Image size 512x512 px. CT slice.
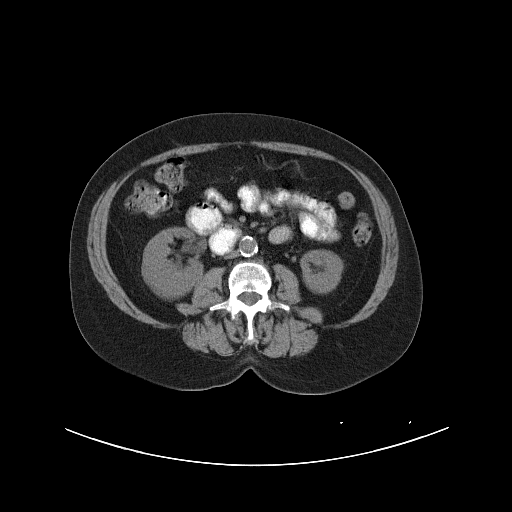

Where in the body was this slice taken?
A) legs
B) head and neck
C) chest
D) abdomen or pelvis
Answer: D) abdomen or pelvis
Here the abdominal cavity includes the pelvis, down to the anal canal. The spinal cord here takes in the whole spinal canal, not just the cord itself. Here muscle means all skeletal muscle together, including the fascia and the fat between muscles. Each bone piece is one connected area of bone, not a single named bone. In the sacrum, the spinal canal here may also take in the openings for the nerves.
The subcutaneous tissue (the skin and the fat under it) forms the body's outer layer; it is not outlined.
{"bones":[{"outer":[[242,261],[265,266],[272,278],[272,285],[268,291],[269,298],[289,306],[288,311],[277,307],[258,312],[252,321],[253,341],[245,341],[248,333],[243,313],[239,312],[235,319],[231,319],[230,314],[223,308],[209,309],[228,298],[228,275],[233,266]],"hole":[[245,292],[253,292],[254,293],[256,293],[258,295],[259,295],[259,298],[253,304],[252,304],[251,305],[248,305],[247,304],[246,304],[244,302],[243,302],[239,298],[239,296],[242,293],[244,293]]}],"abdominal_cavity":[[[228,146],[330,160],[364,188],[381,251],[373,289],[353,315],[325,322],[318,307],[298,304],[299,282],[291,269],[274,263],[272,277],[265,265],[250,260],[206,271],[190,302],[175,305],[179,321],[158,319],[132,301],[106,249],[115,194],[142,167]]],"spinal_cord":[[[245,292],[253,292],[254,293],[256,293],[258,295],[259,295],[259,298],[253,304],[252,304],[251,305],[248,305],[247,304],[246,304],[244,302],[243,302],[239,298],[239,296],[242,293],[244,293]]],"torso":[[[211,112],[263,113],[317,125],[360,147],[386,172],[415,240],[423,284],[421,315],[413,339],[387,369],[322,395],[279,390],[251,370],[229,384],[177,390],[116,369],[85,341],[74,319],[68,273],[70,232],[85,185],[104,160],[132,138],[180,117]]],"muscle":[{"outer":[[233,140],[283,141],[305,145],[327,152],[337,158],[347,162],[369,177],[384,194],[394,218],[394,223],[397,231],[399,251],[398,252],[398,261],[396,269],[397,273],[392,286],[391,292],[373,314],[363,320],[352,323],[346,327],[335,329],[332,328],[327,330],[321,335],[318,342],[308,355],[301,357],[296,360],[276,360],[267,358],[259,353],[254,346],[248,346],[237,356],[230,359],[211,358],[204,356],[189,348],[182,340],[181,334],[179,332],[153,327],[151,325],[137,320],[122,311],[110,300],[105,290],[96,279],[89,262],[87,253],[87,246],[86,245],[89,218],[92,207],[105,186],[131,166],[166,150],[175,148],[181,145],[209,143],[216,141],[222,142]],"hole":[[228,146],[330,160],[364,188],[381,251],[353,315],[325,322],[299,305],[298,278],[282,263],[271,266],[268,296],[289,310],[258,312],[253,341],[243,313],[209,309],[229,296],[224,266],[175,305],[179,321],[132,301],[106,249],[115,194],[142,167]]}]}